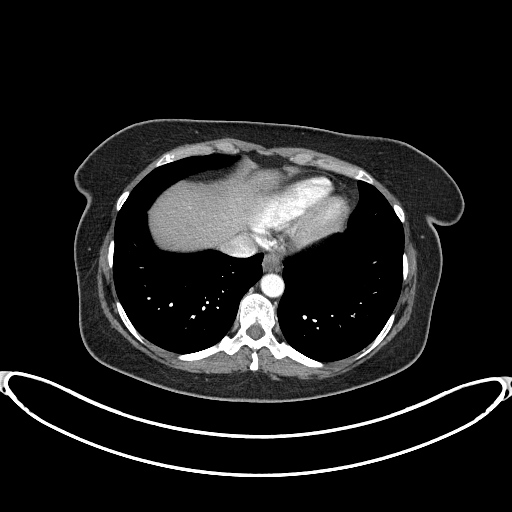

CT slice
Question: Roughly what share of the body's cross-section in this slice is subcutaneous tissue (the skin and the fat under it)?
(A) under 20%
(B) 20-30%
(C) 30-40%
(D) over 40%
Answer: (C) 30-40%
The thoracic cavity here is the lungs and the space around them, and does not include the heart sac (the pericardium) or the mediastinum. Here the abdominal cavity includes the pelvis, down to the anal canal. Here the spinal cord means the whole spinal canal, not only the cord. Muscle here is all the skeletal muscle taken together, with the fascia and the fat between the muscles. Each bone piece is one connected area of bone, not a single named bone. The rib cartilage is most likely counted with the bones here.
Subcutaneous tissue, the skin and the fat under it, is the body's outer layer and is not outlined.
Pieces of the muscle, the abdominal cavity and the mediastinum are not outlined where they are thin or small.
The muscle appears in 5 outlined pieces: piece 1: (197, 373) (248, 371) (251, 350) (243, 345) (232, 355) (221, 351) (200, 360) (181, 361) (177, 354) (146, 339) (144, 344) (140, 343) (127, 330) (115, 306) (112, 269) (106, 258) (117, 214) (115, 203) (98, 259) (97, 289) (102, 310) (111, 326) (149, 357) (167, 366); piece 2: (274, 380) (279, 380) (281, 376) (322, 379) (342, 374) (373, 356) (406, 324) (410, 318) (414, 303) (417, 263) (416, 250) (405, 213) (405, 222) (403, 224) (404, 250) (408, 256) (409, 271) (407, 278) (402, 282) (401, 291) (393, 311) (396, 314) (395, 321) (383, 340) (360, 359) (356, 357) (361, 351) (341, 360) (324, 363) (322, 368) (307, 367) (288, 357) (275, 359) (266, 347) (262, 347) (257, 351) (259, 368) (256, 371) (251, 371) (262, 372); piece 3: (359, 168) (362, 168) (361, 167) (335, 156) (308, 148) (303, 147) (269, 147) (268, 148) (260, 144) (230, 137) (224, 137) (218, 139) (184, 144) (175, 147) (166, 152) (173, 151) (176, 149) (193, 144) (210, 145) (214, 148) (214, 152) (223, 152) (215, 149) (214, 144) (218, 141) (228, 141) (231, 142) (238, 149) (238, 151) (255, 150) (263, 154) (278, 155) (288, 159) (290, 156) (298, 152) (310, 152) (315, 157) (323, 157) (340, 163) (349, 164); piece 4: (131, 191) (131, 190) (135, 186) (135, 185) (145, 175) (146, 175) (152, 169) (153, 169) (153, 165) (155, 163) (155, 162) (163, 154) (162, 154) (159, 157) (155, 159) (147, 166) (146, 166) (125, 187) (125, 188) (123, 190) (125, 189) (128, 189); piece 5: (401, 206) (401, 204) (400, 203) (400, 202) (397, 199) (397, 198) (392, 193) (391, 193) (380, 182) (379, 182) (372, 176) (372, 177) (375, 181) (375, 186) (383, 194) (383, 195) (386, 198) (386, 199) (389, 202) (389, 203) (391, 205) (395, 202) (396, 203) (398, 203). The bones appear in 10 outlined pieces: piece 1: (251, 370) (258, 368) (256, 351) (262, 346) (278, 359) (288, 356) (311, 367) (322, 367) (323, 363) (289, 345) (282, 337) (272, 303) (263, 295) (250, 291) (241, 299) (229, 333) (210, 347) (178, 354) (178, 358) (195, 360) (221, 350) (232, 354) (245, 344) (252, 350), around a hole outlined by (254, 339) (256, 339) (257, 338) (258, 338) (259, 337) (260, 337) (263, 334) (263, 330) (260, 327) (260, 326) (258, 324) (254, 324) (253, 325) (252, 325) (247, 330) (247, 333) (251, 337) (252, 337); piece 2: (372, 185) (374, 185) (373, 179) (367, 172) (362, 169) (359, 169) (349, 165) (340, 164) (337, 162) (323, 158) (315, 158) (310, 153) (298, 153) (289, 158) (289, 160) (294, 163) (303, 165) (310, 163) (319, 168) (341, 173) (344, 175) (352, 177) (354, 179) (362, 180); piece 3: (154, 168) (186, 156) (189, 156) (190, 155) (196, 155) (197, 154) (208, 154) (209, 153) (211, 153) (213, 152) (213, 148) (210, 146) (207, 146) (206, 145) (193, 145) (189, 147) (185, 147) (184, 148) (176, 150) (173, 152) (166, 153) (164, 154) (156, 162) (154, 165); piece 4: (357, 358) (360, 358) (362, 356) (368, 353) (382, 340) (382, 339) (388, 332) (394, 321) (395, 314) (393, 312) (390, 315) (383, 328) (380, 331) (377, 336) (373, 340) (373, 341) (370, 344) (369, 344) (369, 345) (366, 348) (365, 348) (361, 353) (358, 355); piece 5: (142, 343) (144, 343) (144, 338) (135, 329) (135, 328) (132, 325) (131, 322) (129, 320) (128, 317) (126, 315) (121, 304) (119, 302) (119, 301) (117, 300) (116, 301) (116, 306) (117, 307) (117, 309) (118, 310) (119, 315) (123, 323) (128, 329) (128, 330) (140, 342); piece 6: (231, 153) (233, 153) (234, 152) (236, 152) (237, 151) (237, 149) (236, 149) (235, 148) (235, 147) (231, 143) (229, 143) (228, 142) (218, 142) (215, 144) (215, 148) (216, 148) (219, 150) (221, 150) (224, 152) (230, 152); piece 7: (110, 268) (112, 268) (112, 266) (113, 265) (113, 246) (114, 245) (114, 241) (113, 240) (113, 239) (112, 239) (110, 241) (110, 242) (109, 243) (109, 246) (108, 247) (108, 253) (107, 254) (107, 258) (108, 259) (108, 263) (109, 264) (109, 267); piece 8: (117, 211) (118, 211) (120, 209) (121, 206) (123, 204) (123, 203) (125, 201) (126, 198) (128, 196) (128, 195) (129, 194) (130, 191) (129, 191) (128, 190) (125, 190) (124, 191) (123, 191) (122, 192) (122, 193) (119, 196) (118, 199) (116, 201) (116, 210); piece 9: (402, 223) (403, 223) (404, 222) (404, 213) (403, 212) (403, 210) (402, 209) (402, 208) (398, 204) (396, 204) (395, 203) (392, 205) (392, 207) (393, 208) (393, 209) (394, 210) (395, 213) (397, 215) (397, 216) (399, 218) (400, 221); piece 10: (403, 280) (404, 280) (406, 278) (406, 276) (407, 275) (407, 272) (408, 271) (408, 261) (407, 260) (407, 256) (406, 255) (406, 253) (404, 251) (404, 252) (403, 253). The mediastinum appears in 2 outlined pieces: piece 1: (276, 309) (284, 289) (281, 273) (283, 261) (287, 256) (290, 256) (272, 254) (266, 251) (252, 240) (249, 237) (248, 233) (245, 231) (237, 234) (228, 241) (212, 249) (238, 257) (247, 257) (261, 252) (263, 254) (262, 276) (248, 291) (250, 290) (263, 294) (273, 303); piece 2: (354, 208) (358, 199) (358, 190) (357, 189) (357, 181) (356, 180) (341, 174) (338, 174) (331, 171) (322, 170) (313, 166) (304, 166) (304, 168) (306, 169) (309, 168) (310, 169) (322, 170) (338, 177) (351, 190) (355, 196) (356, 201) (354, 205). The torso is outlined by (248, 402) (341, 393) (391, 376) (419, 357) (441, 276) (434, 225) (455, 223) (464, 208) (457, 184) (435, 160) (405, 142) (381, 136) (273, 122) (158, 118) (117, 131) (80, 164) (74, 182) (87, 203) (74, 237) (74, 266) (79, 331) (88, 352) (116, 371) (170, 391). The pericardium is outlined by (284, 255) (295, 254) (307, 247) (317, 243) (323, 238) (325, 238) (335, 232) (340, 232) (345, 228) (355, 200) (354, 196) (350, 190) (338, 178) (322, 171) (309, 169) (303, 170) (258, 191) (248, 202) (245, 211) (245, 220) (246, 227) (250, 237) (266, 250) (272, 253). The thoracic cavity appears in 2 outlined pieces: piece 1: (176, 353) (203, 349) (229, 332) (240, 299) (261, 276) (262, 254) (238, 258) (215, 250) (190, 254) (162, 251) (150, 237) (146, 212) (155, 198) (176, 181) (230, 165) (237, 156) (223, 153) (190, 156) (155, 168) (132, 190) (116, 218) (113, 275) (118, 299) (145, 338); piece 2: (323, 362) (347, 357) (366, 347) (392, 312) (401, 287) (404, 244) (402, 224) (382, 194) (374, 186) (362, 181) (358, 181) (359, 199) (349, 217) (346, 229) (293, 256) (287, 257) (284, 261) (282, 273) (285, 289) (276, 310) (283, 337) (300, 352). The abdominal cavity is outlined by (178, 253) (211, 249) (237, 233) (247, 231) (244, 220) (247, 202) (258, 190) (305, 169) (303, 166) (278, 156) (263, 155) (255, 151) (224, 153) (238, 156) (238, 159) (230, 166) (219, 170) (201, 172) (180, 180) (164, 190) (147, 212) (148, 228) (158, 248). The spinal cord is outlined by (254, 339) (256, 339) (257, 338) (258, 338) (259, 337) (260, 337) (263, 334) (263, 330) (260, 327) (260, 326) (258, 324) (254, 324) (253, 325) (252, 325) (247, 330) (247, 333) (251, 337) (252, 337).